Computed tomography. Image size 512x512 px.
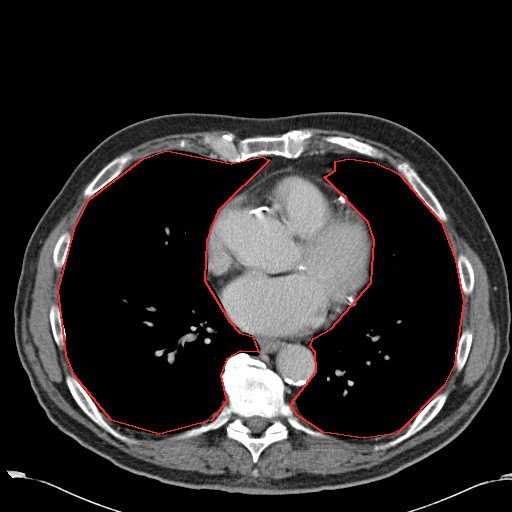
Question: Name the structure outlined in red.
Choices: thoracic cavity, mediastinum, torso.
Answer: red: thoracic cavity.
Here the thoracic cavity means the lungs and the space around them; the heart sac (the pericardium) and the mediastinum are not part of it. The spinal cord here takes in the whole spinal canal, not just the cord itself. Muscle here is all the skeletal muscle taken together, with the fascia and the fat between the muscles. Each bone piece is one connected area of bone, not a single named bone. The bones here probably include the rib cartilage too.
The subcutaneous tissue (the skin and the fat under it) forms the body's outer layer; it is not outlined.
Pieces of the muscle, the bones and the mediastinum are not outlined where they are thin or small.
The thoracic cavity appears in 2 outlined pieces: piece 1: [[166,150],[231,163],[262,156],[269,160],[217,211],[206,240],[204,280],[229,321],[239,332],[252,336],[258,352],[240,351],[226,359],[220,375],[226,401],[211,420],[159,434],[111,420],[74,375],[66,355],[58,290],[75,226],[89,199],[143,158]]; piece 2: [[348,158],[375,162],[398,173],[441,222],[455,260],[463,301],[454,364],[443,386],[397,433],[364,438],[323,432],[297,415],[290,404],[316,371],[315,352],[310,346],[313,338],[331,328],[371,282],[374,240],[368,222],[324,177],[335,170],[335,161]]. The torso is outlined by [[314,111],[366,113],[411,129],[451,165],[485,217],[507,275],[510,350],[495,386],[471,422],[448,444],[391,476],[282,495],[162,483],[116,466],[62,432],[39,404],[20,362],[13,305],[27,242],[74,168],[106,137],[148,117],[182,112],[275,117]]. The spinal cord is outlined by [[252,416],[260,416],[261,417],[263,417],[264,418],[269,419],[269,421],[270,422],[269,424],[263,430],[263,431],[258,435],[256,435],[254,434],[253,432],[245,424],[244,422],[245,421],[244,420],[246,418],[248,418]]. The pericardium is outlined by [[289,165],[301,166],[318,172],[332,186],[338,188],[353,206],[363,214],[373,240],[369,281],[358,294],[354,303],[347,305],[325,329],[305,336],[271,336],[249,331],[234,321],[224,308],[216,290],[207,279],[208,232],[216,214],[226,202],[266,173]]. The bones appear in 11 outlined pieces: piece 1: [[240,352],[274,371],[283,380],[285,401],[298,420],[327,436],[318,437],[296,429],[280,416],[287,428],[287,437],[269,444],[255,463],[242,443],[227,436],[226,424],[195,436],[175,438],[188,429],[208,423],[217,415],[227,401],[221,382],[226,361]] with a hole at [[252,416],[260,416],[261,417],[263,417],[264,418],[269,419],[269,421],[270,422],[269,424],[263,430],[263,431],[258,435],[256,435],[254,434],[253,432],[245,424],[244,422],[245,421],[244,420],[246,418],[248,418]]; piece 2: [[295,129],[309,129],[313,132],[306,149],[295,158],[270,154],[250,157],[243,161],[231,162],[209,156],[211,150],[209,146],[203,142],[203,137],[205,135],[220,136],[231,132],[235,136],[233,142],[236,145],[241,139],[246,137],[268,135],[280,136]]; piece 3: [[67,375],[73,375],[76,378],[94,402],[98,409],[102,413],[103,413],[104,415],[104,419],[116,431],[123,435],[125,435],[131,439],[133,442],[128,443],[115,437],[108,431],[98,425],[82,410],[75,401],[67,386],[67,384],[65,380],[65,378]]; piece 4: [[403,161],[407,162],[417,172],[422,180],[437,198],[438,201],[440,203],[443,210],[447,216],[447,219],[445,221],[442,222],[437,217],[437,216],[424,203],[424,202],[414,191],[408,182],[396,170],[396,165],[397,163],[399,162],[402,162]]; piece 5: [[444,391],[447,391],[448,392],[448,395],[443,406],[437,414],[426,425],[409,437],[404,439],[393,446],[382,449],[375,449],[374,448],[375,445],[383,445],[387,442],[391,441],[402,435],[407,430],[408,425],[412,422],[417,414],[439,392],[443,392]]; piece 6: [[127,152],[130,153],[132,155],[132,159],[126,165],[124,170],[115,178],[98,190],[88,199],[85,197],[83,193],[84,189],[90,183],[90,182],[95,177],[95,176],[100,171],[100,170],[112,159],[117,156],[119,156]]; piece 7: [[325,136],[341,136],[342,137],[351,137],[352,138],[354,138],[358,141],[364,142],[377,148],[379,151],[381,152],[382,154],[382,158],[375,158],[374,157],[371,157],[364,154],[358,153],[355,151],[349,150],[337,144],[327,142],[324,140],[324,137]]; piece 8: [[460,253],[464,254],[468,258],[469,261],[472,265],[472,268],[473,269],[473,276],[474,277],[473,289],[469,294],[467,294],[466,295],[463,294],[463,292],[462,291],[461,281],[460,280],[459,272],[458,271],[458,268],[456,263],[456,258]]; piece 9: [[466,329],[468,329],[471,331],[472,333],[472,340],[471,341],[471,345],[470,346],[469,352],[468,353],[467,358],[465,361],[465,363],[461,370],[459,371],[454,366],[455,364],[455,350],[456,349],[457,344],[459,341],[459,339],[461,336],[462,332]]; piece 10: [[53,304],[55,304],[59,307],[59,310],[60,311],[60,314],[61,315],[63,326],[65,330],[65,344],[64,345],[61,345],[60,346],[57,345],[54,339],[54,337],[52,333],[52,328],[51,327],[51,324],[50,323],[49,311],[50,310],[51,306]]; piece 11: [[66,231],[69,232],[71,234],[71,239],[70,240],[70,245],[69,246],[69,249],[67,253],[66,259],[64,262],[64,264],[62,266],[61,269],[60,269],[59,268],[57,268],[54,264],[54,262],[53,261],[53,251],[59,237],[64,232]]. The muscle appears in 3 outlined pieces: piece 1: [[89,182],[82,192],[88,200],[72,234],[64,231],[52,251],[53,264],[61,271],[58,305],[50,306],[48,317],[56,345],[65,345],[73,374],[67,374],[64,380],[71,396],[92,421],[123,442],[134,441],[116,430],[105,415],[123,428],[159,435],[179,433],[173,437],[175,439],[195,437],[226,425],[226,436],[242,444],[254,464],[269,445],[288,437],[288,428],[280,417],[294,429],[318,438],[326,438],[326,434],[343,439],[374,438],[397,434],[407,426],[395,438],[375,444],[375,450],[393,447],[421,430],[444,406],[449,392],[440,391],[453,368],[459,372],[464,367],[473,340],[470,329],[462,331],[462,313],[463,295],[469,295],[474,289],[474,269],[464,253],[460,252],[455,259],[442,223],[448,216],[441,203],[458,234],[478,254],[488,276],[489,308],[499,335],[493,371],[478,399],[454,424],[368,468],[324,475],[300,472],[279,479],[243,479],[239,473],[208,474],[174,469],[134,457],[104,441],[54,403],[38,382],[22,342],[23,305],[27,288],[35,280],[39,252],[51,230],[76,203]]; piece 2: [[210,130],[230,131],[220,135],[205,134],[202,137],[202,142],[205,145],[207,145],[210,150],[208,155],[182,149],[166,149],[151,153],[126,169],[125,169],[127,165],[133,159],[133,155],[128,151],[118,155],[136,145],[155,138],[172,134],[202,132]] with a hole at [[181,139],[184,139],[185,140],[186,140],[187,141],[187,143],[188,144],[187,145],[187,146],[186,146],[184,148],[180,148],[178,146],[178,143],[179,142],[179,141]]; piece 3: [[303,128],[319,128],[349,132],[387,145],[402,154],[411,162],[417,168],[420,175],[405,160],[397,162],[395,169],[389,161],[383,158],[382,152],[377,147],[351,136],[325,135],[323,137],[325,142],[351,151],[305,151],[310,144],[314,132],[309,128]]. The mediastinum appears in 2 outlined pieces: piece 1: [[347,306],[352,306],[331,327],[316,334],[309,343],[314,352],[315,371],[289,403],[285,398],[286,387],[284,380],[264,362],[253,356],[259,352],[259,347],[253,336],[245,331],[239,331],[224,310],[234,322],[254,334],[271,337],[305,337],[328,328]]; piece 2: [[326,151],[355,152],[371,158],[383,159],[389,162],[396,171],[375,161],[357,157],[335,160],[331,164],[334,170],[323,176],[313,169],[301,165],[289,164],[266,172],[238,192],[270,160],[270,157],[268,156],[270,155],[295,159],[304,152],[315,153]].